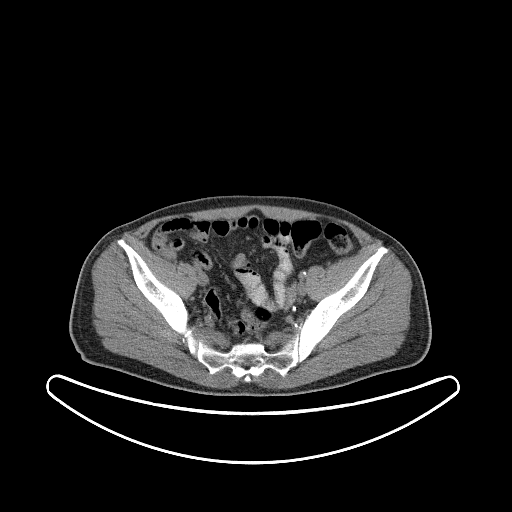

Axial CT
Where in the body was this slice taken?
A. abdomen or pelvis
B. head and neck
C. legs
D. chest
Answer: A. abdomen or pelvis
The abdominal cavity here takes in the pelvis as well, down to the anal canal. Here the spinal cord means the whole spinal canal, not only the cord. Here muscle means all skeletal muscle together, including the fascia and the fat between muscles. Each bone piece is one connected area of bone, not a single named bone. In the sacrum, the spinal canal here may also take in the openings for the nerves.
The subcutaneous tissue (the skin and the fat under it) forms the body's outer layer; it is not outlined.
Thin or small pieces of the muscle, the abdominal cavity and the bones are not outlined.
The abdominal cavity is outlined by [[251,210],[282,220],[325,218],[343,224],[361,247],[326,267],[316,264],[307,270],[305,291],[317,302],[301,323],[273,333],[264,345],[242,341],[231,346],[222,331],[189,322],[183,300],[197,283],[193,268],[154,253],[144,239],[171,218],[235,218]]. The spinal cord is outlined by [[242,363],[243,363],[244,364],[253,364],[251,364],[250,365],[250,366],[249,367],[248,367],[247,368],[245,368],[244,367],[243,367],[241,365],[241,364]]. The bones are outlined by [[120,238],[159,281],[180,296],[193,336],[224,352],[242,342],[277,350],[298,332],[317,303],[342,287],[378,247],[388,251],[362,297],[306,358],[285,376],[266,368],[247,382],[228,367],[210,374],[190,353],[183,336],[138,288],[128,257],[117,243]]. The torso is outlined by [[232,194],[289,195],[331,203],[358,215],[398,240],[414,259],[425,286],[431,320],[431,343],[425,357],[413,366],[374,375],[344,386],[285,396],[219,396],[194,393],[84,361],[70,338],[69,316],[82,263],[97,241],[114,227],[158,208],[200,197]]. The muscle appears in 4 outlined pieces: piece 1: [[249,204],[330,215],[358,226],[383,244],[342,286],[315,301],[306,291],[308,270],[316,265],[326,268],[355,255],[362,247],[346,225],[325,217],[290,220],[251,209],[235,217],[180,215],[159,221],[144,243],[161,258],[192,268],[196,283],[186,299],[159,280],[123,237],[116,240],[137,288],[182,336],[189,353],[210,375],[228,368],[245,383],[229,388],[201,385],[102,345],[92,323],[91,270],[115,237],[162,216]]; piece 2: [[386,246],[392,248],[408,269],[412,281],[409,328],[404,341],[394,355],[289,388],[266,388],[249,382],[251,381],[251,376],[258,377],[266,369],[270,369],[285,377],[292,368],[306,359],[331,330],[337,320],[351,309],[366,293],[380,260],[389,251]]; piece 3: [[189,323],[191,325],[194,325],[197,327],[206,327],[207,328],[211,328],[214,331],[220,331],[222,332],[230,341],[230,347],[229,349],[227,351],[219,350],[207,344],[204,342],[202,339],[200,338],[198,339],[196,338],[193,334],[193,329],[189,325]]; piece 4: [[297,325],[299,326],[299,328],[297,330],[297,332],[296,332],[291,338],[290,338],[280,347],[279,347],[275,350],[266,350],[265,349],[265,341],[270,336],[284,329],[286,329],[287,328],[292,328]].